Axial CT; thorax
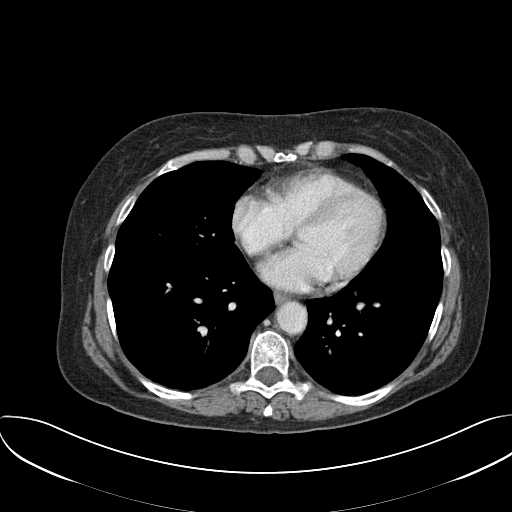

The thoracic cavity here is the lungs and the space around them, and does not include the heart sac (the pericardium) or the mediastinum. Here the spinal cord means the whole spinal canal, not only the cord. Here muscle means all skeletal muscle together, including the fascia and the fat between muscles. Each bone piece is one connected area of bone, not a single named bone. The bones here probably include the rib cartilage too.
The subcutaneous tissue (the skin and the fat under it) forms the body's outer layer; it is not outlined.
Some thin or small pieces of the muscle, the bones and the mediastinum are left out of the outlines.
mediastinum 1: 271 289; 284 292; 298 298; 310 299; 306 301; 306 307; 308 312; 307 326; 292 348; 296 363; 291 363; 290 347; 285 338; 278 332; 267 329; 258 332; 255 335; 249 346; 247 364; 241 364; 246 355; 247 346; 255 328; 275 307
mediastinum 2: 342 157; 343 157; 348 161; 356 165; 360 166; 364 173; 368 177; 366 177; 355 171; 353 171; 352 170; 350 170; 343 167; 337 167; 336 166; 325 165; 317 161; 312 161; 311 160; 308 160; 306 159; 332 159; 333 158; 341 158
mediastinum 3: 272 162; 275 163; 282 163; 283 162; 288 163; 285 163; 284 164; 281 164; 272 167; 266 171; 265 173; 257 180; 256 180; 261 175; 262 172; 257 168; 249 167; 244 165; 252 165; 253 164; 260 164; 261 163; 271 163
torso: 341 107; 386 107; 432 122; 457 143; 480 179; 489 212; 490 287; 481 342; 467 371; 448 387; 383 417; 339 429; 287 435; 152 423; 95 403; 70 386; 56 356; 63 239; 73 200; 102 156; 133 129; 166 115; 194 111; 293 114
thoracic cavity 1: 207 160; 227 160; 261 172; 237 198; 231 228; 233 243; 258 279; 270 289; 274 307; 254 328; 245 355; 235 370; 210 384; 185 391; 167 387; 148 378; 124 353; 117 334; 108 274; 116 252; 119 228; 149 184; 161 175; 196 161
thoracic cavity 2: 346 153; 362 154; 391 167; 418 192; 438 225; 443 272; 439 299; 425 339; 411 361; 392 380; 358 395; 334 393; 314 380; 297 363; 293 350; 309 323; 307 301; 339 292; 364 270; 386 237; 387 214; 378 191; 362 167; 344 157
pericardium: 300 160; 317 162; 330 167; 343 168; 369 178; 375 187; 385 209; 387 222; 386 233; 378 251; 358 275; 331 296; 303 298; 269 287; 255 274; 242 252; 234 243; 235 238; 232 228; 232 218; 235 204; 238 198; 254 182; 272 168
muscle 1: 161 165; 155 178; 143 191; 139 195; 134 192; 129 195; 121 206; 114 223; 119 226; 115 242; 107 244; 102 262; 107 274; 109 294; 105 298; 105 309; 111 334; 118 340; 128 360; 139 371; 137 380; 151 393; 167 400; 190 400; 195 396; 192 391; 217 382; 246 364; 248 376; 244 380; 235 380; 228 384; 234 395; 254 391; 269 400; 278 393; 287 392; 301 401; 313 387; 313 383; 308 379; 295 382; 290 378; 291 364; 297 364; 314 381; 327 388; 331 392; 328 397; 335 402; 364 406; 378 401; 396 386; 398 381; 394 379; 409 365; 424 341; 430 342; 434 338; 442 318; 444 301; 440 296; 443 278; 451 272; 452 257; 449 248; 440 239; 437 220; 442 218; 441 209; 455 234; 460 259; 462 307; 461 328; 456 345; 442 363; 385 399; 366 409; 322 420; 281 421; 267 417; 273 413; 273 407; 269 402; 262 411; 263 416; 204 416; 184 412; 127 392; 86 353; 82 342; 84 310; 89 284; 109 219; 123 196; 145 175
muscle 2: 393 161; 399 166; 403 168; 403 169; 408 173; 411 174; 412 176; 414 176; 417 178; 417 179; 419 180; 419 181; 421 182; 421 183; 425 187; 420 186; 418 188; 418 191; 409 181; 408 181; 392 167; 393 165
muscle 3: 332 141; 336 141; 337 142; 341 142; 342 143; 357 143; 358 144; 361 144; 354 145; 349 147; 347 150; 348 152; 346 152; 343 155; 343 156; 341 157; 333 157; 332 158; 327 158; 331 157; 336 150; 336 145; 335 143
muscle 4: 240 144; 260 144; 257 144; 254 148; 253 148; 251 146; 249 146; 248 145; 239 145; 235 149; 235 150; 234 151; 234 155; 236 158; 236 160; 235 161; 238 163; 237 163; 236 162; 234 162; 231 160; 228 160; 228 159; 231 155; 231 151; 228 148; 212 148; 211 149; 202 149; 207 149; 208 148; 218 148; 219 147; 224 147; 225 146; 235 146; 236 145; 239 145
muscle 5: 366 146; 369 146; 372 148; 374 148; 375 149; 378 150; 380 152; 381 152; 383 154; 384 154; 388 158; 389 158; 390 159; 386 159; 386 158; 385 157; 384 157; 379 152; 376 151; 374 149; 373 149; 372 148; 371 148; 368 146
bones 1: 267 330; 278 333; 287 342; 290 353; 289 378; 295 383; 307 380; 312 383; 312 387; 301 400; 296 399; 292 393; 287 391; 278 392; 268 399; 254 390; 234 394; 229 388; 230 383; 244 381; 249 376; 248 356; 250 346; 258 333; inner edge: 268 366; 275 368; 279 372; 280 374; 280 377; 281 378; 280 380; 270 385; 267 385; 265 384; 263 382; 259 380; 256 377; 256 375; 257 373; 262 368; 264 367; 267 367
bones 2: 324 140; 335 145; 334 152; 326 158; 316 158; 310 152; 305 156; 299 155; 291 162; 269 162; 259 155; 252 164; 236 161; 235 151; 239 146; 254 149; 257 145; 265 145; 275 151; 287 153; 293 152; 303 142; 311 141; 316 144
bones 3: 212 149; 228 149; 230 151; 230 155; 227 159; 207 159; 206 160; 196 160; 195 161; 190 162; 175 170; 172 170; 171 171; 166 172; 156 177; 156 174; 160 168; 169 159; 171 159; 182 154; 192 152; 193 151; 211 150
bones 4: 393 380; 397 381; 397 383; 395 386; 384 396; 372 403; 369 403; 364 405; 349 405; 348 404; 344 404; 339 401; 335 401; 329 397; 329 395; 332 393; 333 394; 341 394; 342 395; 349 395; 350 396; 362 395; 371 391; 373 391
bones 5: 140 374; 143 375; 153 382; 157 383; 160 385; 162 385; 167 388; 175 389; 176 390; 184 391; 185 392; 190 392; 192 394; 193 394; 194 396; 190 399; 167 399; 166 398; 161 397; 148 390; 138 380; 137 376
bones 6: 359 145; 365 146; 374 150; 376 152; 379 153; 384 158; 385 158; 386 160; 391 160; 392 161; 392 165; 391 166; 388 166; 384 163; 368 155; 366 155; 362 153; 354 153; 353 152; 349 152; 348 150; 349 148; 354 146; 358 146
bones 7: 420 187; 423 187; 425 188; 429 192; 429 193; 432 196; 432 197; 438 205; 440 209; 440 211; 441 212; 441 218; 440 219; 436 219; 436 218; 432 214; 430 210; 425 204; 421 195; 419 193; 419 188
bones 8: 440 299; 442 299; 443 301; 443 309; 442 310; 441 318; 439 321; 436 332; 433 338; 430 341; 428 341; 426 340; 426 337; 428 333; 428 330; 429 329; 430 324; 432 321; 432 319; 434 315; 434 312; 436 309; 436 307
bones 9: 134 193; 138 196; 134 205; 132 207; 131 210; 129 212; 129 213; 127 215; 125 219; 120 224; 120 225; 116 225; 115 223; 116 222; 116 219; 119 214; 119 212; 122 206; 124 204; 124 203; 126 201; 128 197
bones 10: 441 243; 444 243; 445 245; 448 248; 449 250; 449 252; 450 253; 450 256; 451 257; 451 268; 450 269; 450 272; 447 276; 444 276; 444 272; 443 271; 443 266; 442 265; 442 260; 441 259; 441 253; 440 252; 440 249; 441 248
bones 11: 108 295; 110 296; 111 302; 112 303; 113 313; 114 314; 114 318; 115 319; 115 329; 116 330; 116 334; 117 335; 117 338; 118 339; 115 339; 114 338; 112 334; 111 328; 110 327; 109 321; 108 320; 107 310; 106 309; 106 298
bones 12: 111 242; 113 242; 115 243; 115 252; 113 256; 113 259; 111 263; 111 266; 109 269; 109 271; 108 273; 107 273; 105 271; 103 267; 103 262; 104 261; 104 255; 105 254; 105 251; 106 250; 106 248; 108 244; 109 244
spinal cord: 268 366; 275 368; 279 372; 280 374; 280 377; 281 378; 280 380; 270 385; 267 385; 265 384; 263 382; 259 380; 256 377; 256 375; 257 373; 262 368; 264 367; 267 367